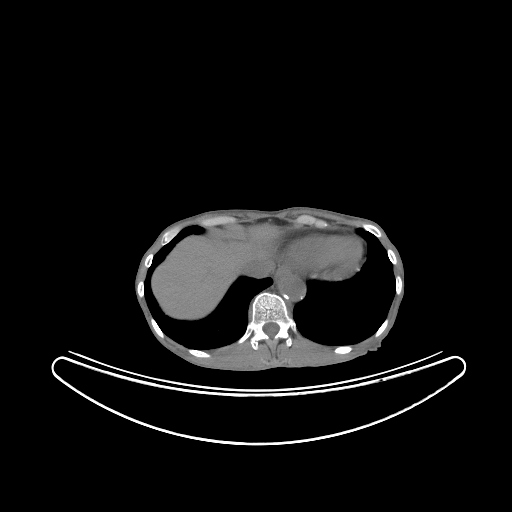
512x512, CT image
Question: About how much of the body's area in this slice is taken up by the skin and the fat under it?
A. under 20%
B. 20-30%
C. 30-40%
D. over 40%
Answer: A. under 20%
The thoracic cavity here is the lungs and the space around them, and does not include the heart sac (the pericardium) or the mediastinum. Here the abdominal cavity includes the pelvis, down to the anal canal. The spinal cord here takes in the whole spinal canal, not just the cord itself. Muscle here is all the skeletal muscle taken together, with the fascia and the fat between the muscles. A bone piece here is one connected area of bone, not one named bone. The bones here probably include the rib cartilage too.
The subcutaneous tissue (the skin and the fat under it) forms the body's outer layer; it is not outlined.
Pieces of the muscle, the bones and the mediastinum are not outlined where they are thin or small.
The spinal cord is outlined by 267 323; 275 323; 278 326; 278 327; 279 328; 278 329; 278 330; 277 331; 277 332; 272 337; 271 337; 270 336; 269 336; 263 330; 263 326; 265 324; 266 324. The abdominal cavity is outlined by 272 218; 285 221; 296 227; 290 228; 279 238; 274 254; 278 261; 277 267; 270 276; 263 278; 239 276; 231 284; 215 309; 198 320; 175 319; 161 310; 152 293; 150 280; 156 266; 177 242; 189 234; 200 234; 203 231; 203 227. The pericardium is outlined by 297 227; 301 228; 315 227; 320 229; 328 227; 329 228; 345 229; 356 232; 360 236; 362 236; 366 242; 365 253; 363 256; 363 260; 359 264; 357 269; 351 275; 342 279; 303 278; 283 265; 275 256; 276 246; 280 238; 290 229. The bones appear in 11 outlined pieces: piece 1: 264 291; 277 294; 284 300; 291 313; 297 332; 295 333; 290 329; 288 331; 291 337; 291 344; 289 346; 283 338; 280 338; 275 343; 260 340; 256 349; 251 346; 248 339; 241 343; 236 342; 246 330; 250 319; 250 307; 253 298, around a hole outlined by 267 323; 275 323; 278 326; 278 327; 279 328; 278 329; 278 330; 277 331; 277 332; 272 337; 271 337; 270 336; 269 336; 263 330; 263 326; 265 324; 266 324; piece 2: 219 215; 225 215; 226 216; 231 216; 232 217; 234 217; 236 218; 237 220; 235 223; 226 223; 225 224; 218 224; 217 225; 211 225; 210 226; 202 226; 201 225; 199 225; 199 221; 201 219; 214 217; piece 3: 300 215; 309 215; 315 218; 318 218; 319 219; 325 220; 327 222; 328 222; 329 225; 327 227; 324 227; 323 228; 316 227; 313 225; 309 225; 308 224; 303 224; 302 225; 299 225; 295 223; 294 221; 296 219; 296 218; piece 4: 177 226; 180 226; 181 227; 181 229; 176 234; 176 235; 173 238; 172 238; 167 243; 166 243; 164 245; 161 246; 161 237; 162 236; 162 235; 166 231; 167 231; 168 230; 169 230; 170 229; 171 229; 174 227; 176 227; piece 5: 362 223; 369 223; 370 224; 372 224; 373 225; 374 225; 376 227; 377 227; 381 231; 381 232; 382 233; 382 236; 381 237; 378 238; 376 236; 375 236; 372 233; 371 233; 370 232; 365 230; 362 227; 361 227; 361 225; 362 224; piece 6: 396 275; 398 275; 399 276; 400 276; 401 277; 401 278; 402 279; 402 281; 403 282; 403 289; 402 290; 402 292; 401 293; 401 294; 400 294; 399 295; 397 295; 395 293; 395 276; piece 7: 151 317; 152 317; 155 320; 155 321; 157 323; 158 326; 160 328; 160 329; 163 332; 163 333; 165 335; 163 338; 161 338; 160 337; 159 337; 155 333; 155 332; 153 330; 153 329; 151 326; 151 324; 150 323; 150 320; 151 319; piece 8: 188 348; 189 348; 190 349; 196 349; 197 350; 203 350; 204 351; 205 351; 206 352; 207 352; 208 353; 209 353; 210 354; 210 356; 209 357; 198 357; 197 356; 195 356; 194 355; 193 355; 192 354; 191 354; 188 351; piece 9: 386 318; 387 318; 387 319; 388 320; 388 323; 387 324; 385 329; 382 332; 382 333; 380 335; 379 335; 377 337; 375 337; 374 336; 374 334; 375 333; 375 332; 378 329; 378 328; 381 325; 381 324; 384 321; 384 320; piece 10: 386 249; 391 249; 394 252; 394 253; 395 254; 395 255; 396 256; 396 259; 397 260; 397 262; 396 263; 396 264; 393 264; 390 261; 390 260; 389 259; 389 258; 388 257; 388 256; 387 255; 387 251; 386 250; piece 11: 151 253; 152 254; 153 254; 154 255; 153 256; 153 258; 152 259; 152 261; 151 262; 151 264; 149 266; 149 267; 148 268; 147 268; 144 265; 144 261; 145 260; 145 258; 146 257; 146 256; 147 255; 148 255; 149 254; 150 254. The thoracic cavity appears in 2 outlined pieces: piece 1: 358 228; 362 228; 376 237; 386 251; 394 275; 392 301; 386 317; 374 333; 365 339; 356 343; 342 345; 316 342; 298 331; 292 316; 293 309; 305 297; 308 281; 342 281; 352 277; 361 269; 367 256; 367 242; 357 232; piece 2: 192 225; 201 226; 202 231; 189 233; 177 241; 151 272; 151 293; 166 316; 180 321; 201 320; 216 309; 239 277; 271 279; 271 283; 252 298; 242 335; 229 344; 204 350; 187 347; 166 335; 144 297; 144 281; 155 254; 182 229. The muscle appears in 6 outlined pieces: piece 1: 395 294; 401 295; 395 315; 388 328; 376 343; 358 354; 328 363; 292 365; 273 357; 261 368; 209 366; 178 353; 159 338; 167 336; 186 347; 191 355; 209 358; 211 354; 205 350; 234 342; 241 344; 246 340; 254 350; 258 348; 260 341; 275 344; 280 339; 289 347; 292 344; 290 330; 316 343; 335 346; 333 352; 343 355; 353 349; 353 344; 372 335; 377 338; 380 336; 383 333; 383 332; 389 323; 387 315; piece 2: 294 209; 308 209; 313 211; 321 211; 325 213; 330 213; 334 215; 338 215; 350 219; 357 219; 358 220; 366 221; 368 222; 362 222; 360 225; 360 227; 356 227; 347 224; 336 224; 335 225; 329 226; 330 225; 329 222; 325 219; 315 217; 309 214; 300 214; 295 218; 293 222; 299 226; 294 225; 290 222; 275 217; 272 217; 271 218; 258 218; 249 221; 241 221; 240 222; 237 222; 238 220; 237 218; 234 216; 226 215; 225 214; 219 214; 214 216; 201 218; 198 221; 198 224; 188 225; 183 228; 182 228; 180 225; 177 225; 172 227; 186 220; 189 220; 206 214; 224 213; 225 212; 279 213; 284 211; 290 211; piece 3: 138 298; 139 299; 140 299; 141 298; 144 298; 144 299; 145 300; 146 305; 151 314; 151 316; 150 317; 150 319; 149 320; 149 323; 149 322; 147 320; 147 319; 144 314; 144 312; 142 309; 142 307; 140 305; 140 302; 139 301; piece 4: 143 261; 143 265; 147 269; 146 270; 146 273; 145 274; 145 277; 144 278; 144 280; 143 280; 142 279; 141 280; 139 280; 137 282; 137 278; 138 277; 138 274; 139 273; 139 271; 140 270; 140 268; 141 267; 141 265; 142 264; piece 5: 160 238; 160 246; 161 247; 154 254; 153 253; 152 253; 151 252; 150 253; 149 253; 148 254; 147 254; 148 253; 148 252; 151 249; 151 248; 157 242; 157 241; piece 6: 383 234; 383 235; 385 237; 385 238; 387 240; 387 241; 391 245; 391 246; 392 247; 392 248; 394 250; 394 251; 391 248; 385 248; 384 247; 384 246; 382 244; 382 243; 380 241; 380 240; 379 239; 380 238; 381 238; 383 236. The torso is outlined by 290 206; 313 206; 369 218; 383 228; 398 249; 405 271; 405 289; 393 327; 382 345; 376 351; 369 351; 335 365; 278 367; 261 371; 206 369; 189 363; 162 346; 146 323; 133 284; 142 254; 160 231; 178 219; 206 210; 275 210. The mediastinum appears in 2 outlined pieces: piece 1: 279 262; 290 271; 303 279; 315 279; 310 279; 307 281; 306 283; 306 292; 304 297; 294 305; 291 312; 288 308; 288 306; 285 300; 281 298; 277 293; 270 291; 265 291; 264 290; 262 291; 272 283; 272 279; 269 277; 276 271; piece 2: 366 247; 366 256; 365 257; 365 260; 364 262; 361 265; 360 267; 360 269; 352 276; 348 278; 343 279; 345 278; 347 278; 351 276; 352 274; 353 274; 358 269; 358 268; 360 266; 360 264; 364 260; 364 256; 366 253.